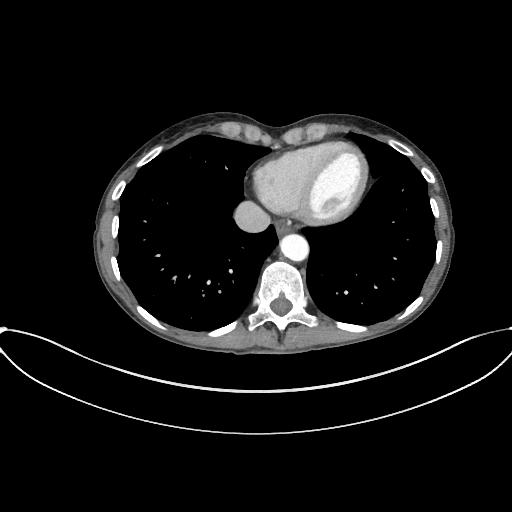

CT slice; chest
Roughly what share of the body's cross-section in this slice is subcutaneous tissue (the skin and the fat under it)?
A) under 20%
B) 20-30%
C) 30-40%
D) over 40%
Answer: A) under 20%
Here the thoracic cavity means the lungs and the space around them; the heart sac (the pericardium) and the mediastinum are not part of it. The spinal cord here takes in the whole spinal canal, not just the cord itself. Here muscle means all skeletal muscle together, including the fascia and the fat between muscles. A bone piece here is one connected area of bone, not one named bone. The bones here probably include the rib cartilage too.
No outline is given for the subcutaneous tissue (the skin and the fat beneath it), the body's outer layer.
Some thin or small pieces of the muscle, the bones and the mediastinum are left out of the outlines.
{"spinal_cord":[[[279,315],[283,315],[285,313],[286,313],[291,308],[291,304],[290,303],[290,302],[288,300],[287,300],[282,295],[282,294],[278,298],[277,298],[276,299],[275,299],[273,301],[272,301],[270,304],[270,306],[271,307],[271,308],[277,314],[278,314]]],"bones":[{"outer":[[250,331],[266,321],[274,323],[280,331],[290,322],[299,322],[310,327],[317,325],[317,317],[306,310],[310,297],[307,291],[305,292],[304,280],[295,267],[283,261],[275,261],[265,267],[251,301],[251,305],[256,308],[247,316],[249,321],[248,329]],"hole":[[279,315],[283,315],[285,313],[286,313],[291,308],[291,304],[290,303],[290,302],[288,300],[287,300],[282,295],[282,294],[278,298],[277,298],[276,299],[275,299],[273,301],[272,301],[270,304],[270,306],[271,307],[271,308],[277,314],[278,314]]},[[265,145],[269,145],[269,143],[270,142],[270,139],[269,137],[266,134],[264,133],[262,133],[261,134],[259,130],[251,126],[248,126],[246,127],[244,131],[244,135],[245,137],[250,142],[254,142],[260,139],[262,141],[263,144]],[[137,167],[140,167],[141,166],[144,165],[146,163],[147,163],[149,161],[150,161],[152,159],[153,159],[156,156],[157,156],[163,150],[163,146],[162,145],[159,145],[158,146],[157,146],[156,147],[155,147],[154,148],[151,149],[136,163],[136,166]],[[163,330],[164,329],[166,329],[166,328],[161,324],[158,319],[153,316],[148,311],[143,308],[139,304],[137,304],[136,305],[136,309],[138,311],[138,312],[145,319],[146,319],[152,324],[155,325],[157,327]],[[406,156],[412,156],[413,155],[413,152],[406,145],[405,145],[404,144],[403,144],[401,142],[400,142],[397,140],[395,140],[394,139],[389,139],[388,140],[387,140],[387,144],[388,145],[389,145],[395,150],[398,151],[400,153],[401,153]],[[231,137],[233,137],[234,136],[237,135],[239,133],[239,132],[240,131],[240,129],[241,128],[240,125],[238,123],[237,123],[236,122],[224,122],[223,123],[222,123],[220,126],[220,127],[222,130],[222,132],[223,133],[224,133],[227,135],[229,135]],[[209,336],[219,336],[231,331],[235,328],[237,324],[237,319],[236,320],[234,320],[232,322],[224,326],[222,326],[221,327],[219,327],[218,328],[216,328],[215,329],[213,329],[212,330],[208,331],[207,332],[207,335]],[[354,332],[360,332],[361,331],[365,331],[367,330],[368,328],[367,326],[365,325],[353,324],[352,323],[346,323],[345,322],[341,322],[340,321],[335,321],[336,326],[338,328],[340,329],[343,329],[344,330],[347,330],[348,331],[353,331]],[[398,319],[401,319],[402,318],[405,317],[408,314],[409,314],[411,312],[412,312],[421,303],[421,302],[423,300],[423,296],[422,295],[419,295],[412,302],[411,302],[405,308],[405,309],[402,312],[402,313],[401,314],[400,314],[397,317],[398,318]],[[318,139],[320,139],[321,138],[322,138],[325,135],[325,134],[326,133],[326,127],[323,125],[318,125],[317,126],[312,126],[311,127],[310,127],[309,128],[308,128],[306,131],[306,132],[308,135],[309,135],[310,136],[311,136],[313,138],[317,138]],[[289,144],[291,144],[292,143],[294,143],[296,141],[297,141],[298,140],[301,139],[301,132],[299,130],[298,130],[297,129],[292,129],[291,130],[288,131],[285,134],[285,135],[284,136],[284,139],[285,140],[286,143],[288,143]],[[113,200],[117,200],[118,199],[119,199],[119,198],[120,197],[120,196],[121,195],[121,194],[122,193],[122,192],[126,185],[126,181],[125,180],[122,179],[120,181],[119,181],[119,182],[115,186],[115,187],[113,190],[113,192],[112,193],[112,199]],[[428,183],[433,183],[435,181],[435,177],[434,176],[434,174],[432,172],[432,171],[429,168],[428,168],[427,167],[426,167],[425,166],[422,166],[420,168],[420,172],[421,173],[421,174],[423,176],[423,177],[425,179],[425,180]],[[118,281],[119,281],[122,278],[119,272],[119,268],[118,267],[118,264],[117,263],[117,260],[116,259],[116,257],[114,255],[112,255],[110,258],[110,261],[111,262],[111,265],[112,266],[112,269],[113,270],[114,275],[116,279]],[[113,238],[116,238],[117,237],[117,232],[118,231],[118,227],[119,226],[119,217],[118,216],[118,215],[117,214],[115,214],[113,216],[113,217],[112,218],[112,222],[111,223],[111,233],[112,234],[112,236],[113,237]],[[435,263],[438,263],[439,262],[439,261],[440,260],[440,258],[441,257],[441,250],[442,249],[442,242],[441,241],[441,240],[440,239],[439,239],[438,240],[437,240],[437,242],[436,243],[436,249],[435,250]]],"mediastinum":[[[306,292],[308,289],[306,281],[304,278],[310,246],[302,230],[310,228],[273,219],[246,196],[244,184],[244,198],[232,214],[236,224],[240,229],[249,233],[261,232],[272,225],[278,239],[264,260],[260,275],[269,263],[275,260],[286,261],[301,272],[305,282],[306,283],[306,284]]],"thoracic_cavity":[[[195,330],[209,330],[237,318],[257,288],[261,264],[277,241],[272,226],[261,233],[249,234],[240,230],[231,217],[233,209],[243,198],[246,169],[269,152],[268,147],[211,135],[189,138],[141,167],[120,198],[117,259],[123,279],[138,302],[161,321]],[[366,325],[387,319],[402,311],[419,294],[434,262],[436,240],[426,182],[419,171],[407,157],[386,144],[350,132],[348,135],[367,158],[371,175],[378,179],[359,207],[346,220],[333,226],[303,230],[311,246],[305,278],[311,299],[323,314],[334,320]]],"muscle":[[[238,349],[253,346],[294,349],[372,336],[391,329],[418,311],[435,291],[450,248],[450,226],[442,190],[436,178],[433,184],[427,183],[427,192],[429,197],[436,199],[440,210],[440,216],[435,219],[434,232],[436,239],[440,238],[443,242],[442,257],[438,264],[434,263],[424,282],[420,292],[424,300],[405,318],[397,319],[401,312],[368,325],[365,332],[348,332],[338,329],[334,321],[323,315],[310,300],[307,310],[318,317],[316,327],[290,323],[280,332],[274,324],[266,322],[250,332],[246,316],[255,308],[250,305],[250,301],[238,317],[234,330],[219,337],[209,337],[207,331],[182,329],[164,322],[161,322],[167,329],[163,331],[152,325],[135,309],[137,300],[126,283],[122,279],[118,282],[113,275],[109,258],[112,254],[116,256],[118,241],[111,236],[110,223],[112,216],[119,213],[120,204],[119,200],[111,199],[111,193],[119,180],[123,178],[128,183],[132,179],[139,168],[135,163],[147,152],[144,152],[117,177],[107,194],[97,233],[97,252],[102,273],[124,303],[152,328],[192,344]],[[163,151],[171,148],[189,137],[199,134],[211,134],[212,135],[222,136],[227,138],[237,139],[238,140],[249,142],[243,135],[243,131],[245,127],[248,125],[251,125],[259,129],[261,133],[262,132],[266,133],[271,139],[270,145],[278,144],[280,147],[285,143],[283,139],[283,136],[287,131],[284,132],[279,136],[275,137],[265,132],[257,126],[249,123],[244,123],[239,121],[225,121],[236,121],[242,127],[240,133],[233,138],[231,138],[221,132],[219,126],[223,122],[219,122],[212,125],[206,125],[202,127],[194,128],[191,131],[188,131],[182,135],[174,138],[172,140],[166,141],[161,144],[158,144],[156,145],[155,146],[156,146],[157,145],[159,144],[162,144],[164,146],[164,150]],[[294,145],[300,143],[305,143],[308,141],[317,140],[317,139],[313,139],[308,136],[305,131],[308,127],[318,124],[323,124],[327,127],[326,135],[334,133],[348,133],[350,131],[352,131],[356,133],[367,135],[384,143],[386,143],[387,139],[394,138],[385,134],[372,133],[362,130],[360,128],[352,125],[323,122],[310,122],[303,126],[294,127],[288,130],[292,128],[297,128],[302,132],[302,139],[294,144],[292,144]],[[419,170],[419,168],[422,165],[425,165],[426,166],[427,166],[428,167],[429,167],[429,166],[413,150],[413,149],[411,147],[410,147],[409,146],[408,146],[414,152],[414,155],[412,157],[408,157],[409,158],[409,159],[412,162],[412,163]]],"pericardium":[[[311,228],[333,225],[346,219],[357,208],[370,185],[371,182],[370,172],[366,158],[356,143],[350,139],[346,138],[328,139],[268,153],[266,156],[261,157],[246,171],[244,183],[247,196],[262,207],[273,218],[278,218],[296,225],[302,225],[305,227]]],"torso":[[[236,355],[301,355],[371,341],[397,332],[431,305],[452,264],[455,229],[442,174],[410,139],[379,121],[348,113],[319,113],[274,126],[238,112],[213,111],[165,127],[117,168],[101,194],[92,232],[94,263],[105,289],[133,321],[153,335],[190,348]]]}